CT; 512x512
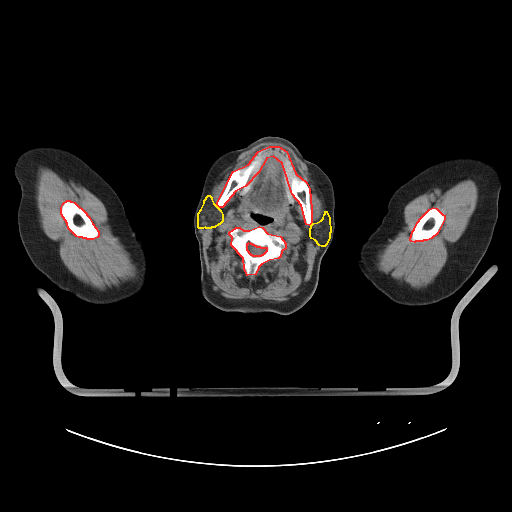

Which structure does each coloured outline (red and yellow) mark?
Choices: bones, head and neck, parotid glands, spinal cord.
red: bones; yellow: parotid glands.
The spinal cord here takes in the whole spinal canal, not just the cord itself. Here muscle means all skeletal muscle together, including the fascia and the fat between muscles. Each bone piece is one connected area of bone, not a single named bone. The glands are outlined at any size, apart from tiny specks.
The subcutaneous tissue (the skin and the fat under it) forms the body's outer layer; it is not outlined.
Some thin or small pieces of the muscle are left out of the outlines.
{"bones":[[[269,146],[278,146],[286,151],[295,173],[306,182],[309,188],[311,209],[311,223],[309,225],[306,224],[301,205],[292,194],[282,163],[273,156],[266,158],[258,172],[245,186],[235,191],[222,207],[218,207],[217,202],[233,171],[248,164],[258,151]],{"outer":[[259,226],[262,227],[267,233],[280,236],[285,243],[285,248],[281,251],[280,256],[278,258],[269,260],[261,264],[258,267],[255,274],[247,275],[244,268],[243,258],[231,245],[232,237],[229,234],[229,232],[236,227],[239,227],[243,230],[249,230]],"hole":[[249,242],[250,243],[251,243],[252,244],[253,244],[254,245],[255,245],[256,246],[259,246],[260,247],[266,247],[266,251],[262,255],[261,255],[260,256],[253,256],[252,255],[251,255],[249,253],[249,252],[247,250],[247,243],[248,243]]},[[67,200],[69,200],[70,201],[72,201],[74,202],[86,213],[86,214],[89,217],[92,223],[98,231],[98,236],[97,237],[93,239],[87,239],[86,238],[83,238],[82,237],[78,237],[76,236],[68,228],[67,223],[61,214],[61,207],[63,203]],[[433,207],[436,208],[442,214],[444,215],[444,219],[437,233],[431,238],[427,240],[423,240],[422,241],[415,241],[414,242],[411,241],[410,240],[410,237],[411,236],[412,231],[414,229],[417,222],[419,220],[419,219],[429,209]]],"parotid_glands":[[[208,195],[209,195],[211,197],[211,199],[213,203],[220,210],[222,214],[222,221],[219,224],[218,224],[214,227],[211,227],[210,228],[206,228],[205,227],[203,228],[199,228],[198,227],[198,213],[201,209],[204,203],[204,200]],[[325,211],[326,211],[329,218],[330,232],[329,233],[329,237],[326,244],[324,246],[321,246],[319,245],[315,240],[311,238],[310,236],[310,228],[311,227],[311,225],[313,223],[317,222],[321,220],[323,218],[324,214],[325,213]]],"spinal_cord":[[[249,242],[250,243],[251,243],[252,244],[253,244],[254,245],[255,245],[256,246],[259,246],[260,247],[266,247],[266,251],[262,255],[261,255],[260,256],[253,256],[252,255],[251,255],[249,253],[249,252],[247,250],[247,243],[248,243]]],"muscle":[{"outer":[[269,157],[273,157],[281,163],[291,194],[302,209],[305,224],[310,225],[309,236],[322,247],[315,258],[309,281],[300,293],[291,300],[281,303],[245,303],[227,300],[212,290],[206,273],[200,229],[214,228],[223,221],[220,209],[235,192],[246,186]],"hole":[[259,226],[262,227],[267,233],[280,236],[285,243],[285,248],[281,251],[280,256],[278,258],[269,260],[261,264],[258,267],[255,274],[247,275],[244,268],[243,258],[231,245],[232,237],[229,234],[229,232],[236,227],[239,227],[243,230],[249,230]]},{"outer":[[41,165],[48,167],[61,175],[78,181],[102,201],[107,210],[108,218],[115,235],[130,253],[137,266],[138,275],[136,278],[116,287],[99,290],[83,283],[66,268],[58,258],[52,246],[41,230],[38,221],[38,210],[35,198],[35,183],[37,168]],"hole":[[67,200],[69,200],[70,201],[72,201],[74,202],[86,213],[86,214],[89,217],[92,223],[98,231],[98,236],[97,237],[93,239],[87,239],[86,238],[83,238],[82,237],[78,237],[76,236],[68,228],[67,223],[61,214],[61,207],[63,203]]},{"outer":[[465,179],[472,179],[478,185],[479,192],[476,208],[465,231],[449,251],[444,266],[434,280],[430,284],[423,288],[415,289],[402,284],[380,272],[376,268],[374,261],[377,250],[387,242],[402,225],[403,209],[405,205],[415,197],[432,188],[457,183]],"hole":[[433,207],[436,208],[442,214],[444,215],[444,219],[437,233],[431,238],[427,240],[423,240],[422,241],[415,241],[414,242],[411,241],[410,240],[410,237],[411,236],[412,231],[414,229],[417,222],[419,220],[419,219],[429,209]]},[[264,142],[280,142],[288,146],[307,165],[314,176],[326,205],[326,210],[321,219],[312,223],[310,188],[307,182],[296,173],[288,152],[278,145],[269,145],[261,148],[248,163],[233,170],[227,179],[216,205],[214,203],[209,193],[220,173],[241,153]]],"left_arm":[[[459,156],[484,159],[493,164],[498,172],[501,189],[498,200],[498,218],[492,239],[472,275],[455,293],[427,305],[408,306],[398,304],[379,291],[363,275],[356,259],[358,247],[381,222],[388,210],[388,202],[391,196],[401,185],[427,167],[439,161]]],"right_arm":[[[39,145],[49,145],[63,148],[77,155],[95,170],[118,195],[131,226],[144,243],[149,254],[149,281],[139,293],[123,301],[109,305],[93,304],[61,289],[34,266],[23,246],[18,231],[17,207],[21,191],[14,176],[14,170],[21,153],[27,148]]],"head_and_neck":[{"outer":[[264,136],[279,136],[289,140],[306,159],[319,166],[329,177],[335,198],[333,240],[321,259],[316,289],[302,307],[286,315],[270,311],[254,314],[224,311],[209,303],[202,295],[200,288],[201,267],[193,215],[206,173],[210,165],[220,155],[242,148]],"hole":[[254,214],[257,214],[258,215],[260,215],[261,216],[263,216],[264,217],[265,217],[266,218],[269,218],[270,219],[271,219],[271,221],[270,221],[269,222],[268,222],[267,223],[260,223],[258,221],[257,221],[255,219],[254,219],[254,218],[252,216]]}]}